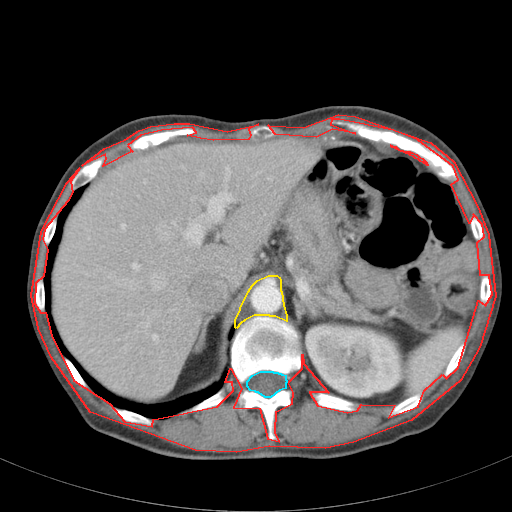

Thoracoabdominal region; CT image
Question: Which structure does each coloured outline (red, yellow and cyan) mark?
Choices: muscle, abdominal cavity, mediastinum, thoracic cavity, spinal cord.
Answer: red: muscle; yellow: mediastinum; cyan: spinal cord.
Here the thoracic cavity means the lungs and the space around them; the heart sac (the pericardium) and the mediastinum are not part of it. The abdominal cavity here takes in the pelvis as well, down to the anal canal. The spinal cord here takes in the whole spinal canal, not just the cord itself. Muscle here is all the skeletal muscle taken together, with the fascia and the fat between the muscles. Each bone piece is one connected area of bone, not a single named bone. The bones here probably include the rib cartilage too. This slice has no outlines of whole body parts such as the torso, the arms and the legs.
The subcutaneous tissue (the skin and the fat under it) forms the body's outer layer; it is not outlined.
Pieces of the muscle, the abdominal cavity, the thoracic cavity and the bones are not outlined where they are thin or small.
The muscle appears in 3 outlined pieces: piece 1: [[338,114],[355,116],[430,142],[453,161],[477,206],[488,234],[495,296],[479,347],[460,380],[411,420],[353,442],[325,448],[269,446],[236,452],[195,450],[90,412],[51,357],[38,328],[31,295],[41,231],[67,182],[79,168],[70,181],[72,192],[67,201],[44,229],[42,239],[47,249],[43,276],[35,283],[34,303],[40,312],[45,312],[51,335],[73,380],[109,403],[124,421],[152,426],[153,419],[217,406],[233,390],[232,382],[225,382],[230,368],[241,388],[233,407],[259,408],[267,438],[279,441],[275,432],[276,411],[292,403],[293,392],[288,382],[302,368],[302,354],[303,363],[328,392],[309,392],[317,405],[347,412],[357,410],[361,404],[394,405],[388,417],[418,406],[424,390],[442,374],[446,378],[458,367],[478,300],[485,305],[492,294],[489,275],[480,275],[477,242],[484,236],[482,224],[473,214],[469,223],[451,184],[458,179],[453,166],[418,140],[393,130],[339,119],[331,119],[330,124],[355,133],[332,129],[316,137],[275,134],[268,125],[303,127]]; piece 2: [[174,123],[189,123],[227,131],[258,124],[248,129],[250,135],[248,139],[213,140],[200,138],[187,135],[196,132],[192,127],[161,130],[140,135],[127,145],[132,151],[103,166],[106,158],[105,154],[82,165],[104,148],[125,139],[139,130],[150,126]]; piece 3: [[390,145],[395,146],[397,148],[403,151],[409,151],[410,152],[412,152],[416,154],[418,156],[422,158],[426,162],[427,165],[423,162],[420,161],[418,159],[415,158],[413,156],[410,155],[408,153],[406,153],[403,151],[400,151],[392,147],[392,146]]. The mediastinum is outlined by [[268,275],[276,275],[279,277],[280,280],[280,290],[281,291],[283,305],[286,315],[286,321],[275,316],[270,316],[269,315],[254,315],[244,320],[240,323],[236,328],[235,327],[235,319],[240,310],[240,308],[248,291],[252,285],[257,280]]. The spinal cord is outlined by [[260,371],[272,371],[273,372],[277,372],[278,373],[280,373],[281,374],[283,374],[285,375],[285,379],[286,380],[286,382],[285,383],[285,388],[279,390],[270,397],[265,397],[258,392],[256,392],[255,391],[250,390],[247,386],[247,381],[252,375]]. The thoracic cavity is outlined by [[82,186],[63,221],[49,274],[50,314],[55,329],[67,351],[88,375],[118,398],[138,404],[161,404],[199,392],[217,382],[226,371],[223,385],[216,392],[168,417],[151,418],[112,405],[88,385],[52,335],[45,307],[47,250],[60,212],[72,193]]. The bones appear in 11 outlined pieces: piece 1: [[254,316],[278,318],[291,324],[299,334],[302,365],[291,374],[287,382],[287,387],[292,392],[291,403],[288,406],[279,406],[274,415],[274,432],[279,440],[268,438],[266,421],[259,407],[238,409],[233,405],[242,388],[230,367],[230,346],[240,324]], around a hole outlined by [[260,371],[272,371],[273,372],[277,372],[278,373],[280,373],[281,374],[283,374],[285,375],[285,379],[286,380],[286,382],[285,383],[285,388],[279,390],[270,397],[265,397],[258,392],[256,392],[255,391],[250,390],[247,386],[247,381],[252,375]]; piece 2: [[331,120],[347,121],[356,124],[362,124],[367,127],[378,130],[389,130],[418,141],[439,154],[447,161],[456,173],[457,179],[450,183],[434,173],[427,162],[416,153],[409,150],[403,150],[395,145],[382,141],[375,142],[361,137],[345,126],[330,123]]; piece 3: [[181,128],[192,128],[194,129],[195,132],[192,134],[176,136],[173,138],[169,139],[167,141],[162,142],[157,145],[149,146],[144,149],[131,149],[128,147],[128,145],[132,141],[135,140],[142,135],[150,134],[155,132],[160,132],[161,131],[180,129]]; piece 4: [[311,391],[313,391],[314,392],[318,392],[319,391],[324,393],[332,394],[333,395],[350,400],[353,402],[358,403],[360,404],[360,406],[357,409],[353,411],[339,410],[334,408],[329,408],[328,407],[321,406],[317,404],[313,399],[310,394],[310,392]]; piece 5: [[104,155],[105,155],[105,158],[101,166],[97,171],[97,173],[95,175],[95,176],[85,184],[78,187],[73,191],[71,190],[70,188],[70,184],[71,183],[71,181],[76,174],[76,173],[80,169],[80,168],[81,168],[82,166],[90,163],[93,160]]; piece 6: [[228,381],[230,381],[232,384],[232,390],[226,392],[226,397],[225,399],[219,404],[210,407],[207,407],[201,410],[193,411],[189,413],[178,414],[179,412],[185,410],[202,401],[204,399],[206,399],[213,395],[216,393],[226,382]]; piece 7: [[418,393],[421,393],[423,396],[422,400],[418,405],[417,405],[407,412],[405,412],[404,413],[400,413],[399,414],[397,414],[396,415],[393,415],[392,416],[388,416],[388,413],[395,405],[401,402],[403,400],[408,398],[410,396],[412,396]]; piece 8: [[112,406],[115,406],[118,408],[123,408],[127,410],[130,410],[133,412],[135,412],[138,414],[140,414],[145,417],[150,418],[153,420],[154,423],[152,425],[147,425],[143,423],[134,423],[133,422],[128,422],[124,420],[121,417],[120,417],[113,410]]; piece 9: [[463,342],[464,342],[466,345],[465,346],[465,350],[464,351],[463,356],[459,364],[457,366],[457,367],[448,376],[446,377],[444,377],[443,376],[443,373],[448,363],[450,361],[452,356],[454,354],[454,353],[456,351],[458,347]]; piece 10: [[42,277],[43,277],[43,285],[44,286],[44,297],[45,298],[44,299],[45,300],[44,301],[45,302],[45,304],[44,305],[45,306],[44,307],[45,308],[45,311],[44,312],[40,311],[38,309],[35,303],[35,288],[36,287],[36,283],[38,279]]; piece 11: [[64,356],[68,358],[72,362],[72,363],[74,365],[74,366],[76,368],[76,369],[78,371],[78,372],[80,374],[84,381],[87,384],[88,386],[87,388],[81,386],[74,380],[74,379],[72,377],[72,376],[70,374],[66,367],[66,365],[64,361]]. The abdominal cavity is outlined by [[332,130],[388,144],[428,166],[453,188],[476,241],[473,319],[427,388],[381,406],[330,393],[304,363],[276,274],[247,291],[228,335],[229,369],[211,385],[146,404],[118,397],[84,370],[56,329],[50,274],[66,216],[100,168],[182,136],[244,141]].